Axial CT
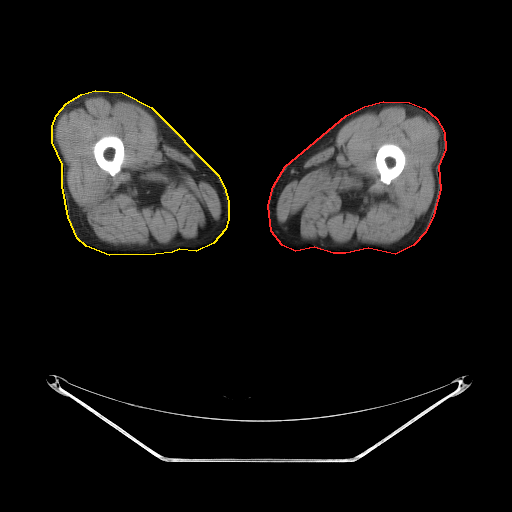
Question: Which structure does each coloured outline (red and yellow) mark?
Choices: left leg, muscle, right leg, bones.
Answer: red: left leg; yellow: right leg.
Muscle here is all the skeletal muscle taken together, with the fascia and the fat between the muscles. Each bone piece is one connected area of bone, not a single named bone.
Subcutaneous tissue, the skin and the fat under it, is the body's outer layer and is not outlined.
The left leg is outlined by (383, 101) (409, 102) (424, 108) (436, 118) (444, 132) (445, 149) (438, 166) (440, 189) (433, 215) (425, 232) (413, 245) (395, 254) (368, 248) (345, 253) (333, 253) (314, 247) (295, 251) (282, 245) (271, 231) (268, 205) (273, 186) (285, 166) (346, 115) (364, 106). The right leg is outlined by (95, 90) (122, 92) (151, 107) (217, 174) (224, 187) (228, 201) (228, 219) (225, 229) (213, 243) (196, 251) (179, 249) (172, 252) (155, 254) (109, 255) (86, 246) (77, 238) (68, 217) (62, 186) (62, 164) (52, 142) (52, 126) (56, 115) (66, 103) (81, 94). The bones appear in 2 outlined pieces: piece 1: (107, 135) (116, 135) (118, 136) (122, 140) (123, 142) (123, 145) (124, 146) (124, 161) (122, 164) (120, 171) (114, 176) (110, 175) (106, 171) (103, 170) (97, 164) (95, 160) (94, 155) (93, 154) (93, 146) (95, 142) (101, 137) (103, 136) (106, 136); piece 2: (385, 143) (391, 143) (392, 144) (395, 144) (399, 146) (402, 149) (405, 154) (405, 164) (402, 171) (400, 173) (400, 174) (397, 177) (393, 179) (389, 184) (385, 184) (380, 180) (380, 176) (376, 168) (376, 165) (375, 164) (375, 156) (376, 155) (377, 150) (381, 145). The muscle appears in 2 outlined pieces: piece 1: (92, 95) (111, 95) (141, 103) (162, 126) (170, 145) (184, 149) (201, 165) (204, 172) (216, 186) (222, 206) (222, 217) (208, 236) (179, 245) (112, 245) (100, 240) (84, 226) (80, 219) (79, 207) (68, 187) (68, 166) (56, 141) (55, 126) (61, 113) (67, 106) with a hole at (107, 135) (116, 135) (118, 136) (122, 140) (123, 142) (123, 145) (124, 146) (124, 161) (122, 164) (120, 171) (114, 176) (110, 175) (106, 171) (103, 170) (97, 164) (95, 160) (94, 155) (93, 154) (93, 146) (95, 142) (101, 137) (103, 136) (106, 136); piece 2: (383, 105) (401, 105) (416, 110) (437, 124) (439, 132) (438, 154) (432, 169) (434, 192) (430, 205) (416, 230) (406, 239) (389, 249) (366, 243) (324, 244) (285, 233) (277, 223) (277, 199) (297, 164) (307, 156) (331, 144) (336, 138) (339, 129) (346, 122) (362, 112), around a hole outlined by (385, 143) (391, 143) (392, 144) (395, 144) (399, 146) (402, 149) (405, 154) (405, 164) (402, 171) (400, 173) (400, 174) (397, 177) (393, 179) (389, 184) (385, 184) (380, 180) (380, 176) (376, 168) (376, 165) (375, 164) (375, 156) (376, 155) (377, 150) (381, 145).